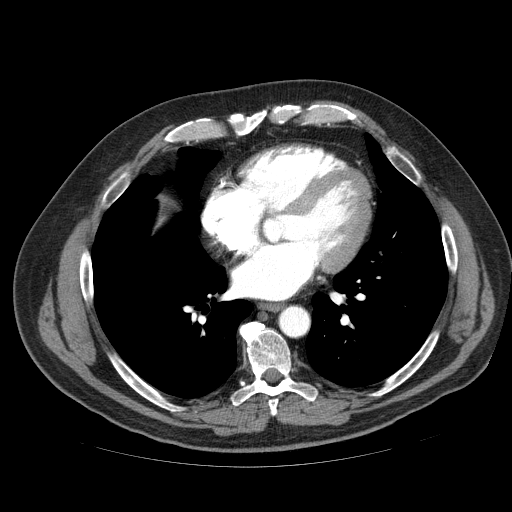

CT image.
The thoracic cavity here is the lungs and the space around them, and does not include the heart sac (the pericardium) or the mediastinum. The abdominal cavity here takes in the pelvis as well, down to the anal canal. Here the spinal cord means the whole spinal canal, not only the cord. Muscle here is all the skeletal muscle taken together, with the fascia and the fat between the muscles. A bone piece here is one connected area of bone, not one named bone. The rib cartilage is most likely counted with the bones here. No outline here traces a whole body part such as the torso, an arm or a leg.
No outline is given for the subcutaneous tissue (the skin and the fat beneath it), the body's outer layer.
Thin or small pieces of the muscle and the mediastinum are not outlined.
The spinal cord is outlined by [[270,368],[273,368],[274,369],[275,369],[278,372],[279,372],[279,373],[281,375],[281,378],[276,383],[275,383],[274,384],[271,384],[270,383],[269,383],[266,380],[265,380],[263,378],[263,374],[268,369],[269,369]]. The thoracic cavity appears in 2 outlined pieces: piece 1: [[185,146],[221,153],[199,192],[198,236],[209,255],[224,268],[234,296],[248,300],[252,306],[237,327],[237,337],[243,341],[239,371],[214,391],[192,399],[163,394],[115,350],[94,306],[91,256],[104,212],[146,166],[151,174],[174,172],[177,152]] with a hole at [[164,188],[169,188],[170,190],[173,190],[173,191],[175,192],[177,196],[181,200],[181,203],[182,204],[183,209],[181,211],[174,214],[171,219],[165,225],[164,225],[153,234],[152,233],[152,229],[156,221],[156,216],[158,211],[158,201],[156,197]]; piece 2: [[364,131],[379,143],[391,164],[419,187],[430,202],[439,222],[449,274],[446,295],[433,326],[409,360],[379,386],[346,387],[314,376],[304,369],[305,342],[312,325],[313,296],[318,292],[332,291],[334,277],[353,261],[371,236],[380,189],[369,159]]. The muscle is outlined by [[318,99],[346,103],[373,119],[391,140],[413,155],[419,168],[453,203],[473,235],[493,291],[495,309],[485,335],[456,371],[414,395],[339,425],[293,425],[271,419],[255,434],[218,435],[172,425],[117,402],[89,385],[44,344],[37,327],[38,311],[72,229],[118,166],[130,160],[163,127],[187,120],[163,135],[162,140],[171,144],[133,179],[126,168],[109,183],[100,200],[104,211],[90,250],[83,245],[79,256],[83,300],[87,307],[93,304],[114,349],[105,354],[123,381],[152,404],[175,413],[187,407],[166,396],[201,398],[243,370],[244,375],[229,394],[231,404],[239,406],[262,393],[269,397],[269,414],[274,417],[278,413],[278,395],[291,392],[313,402],[319,394],[322,384],[296,378],[298,368],[346,388],[375,385],[378,387],[367,393],[369,397],[381,397],[411,377],[440,337],[441,330],[433,327],[447,295],[449,275],[454,276],[458,268],[453,230],[446,219],[439,221],[420,187],[423,178],[413,162],[394,144],[382,148],[368,131],[350,122],[362,122],[354,111],[334,103],[291,103]]. The abdominal cavity is outlined by [[164,188],[169,188],[170,190],[173,190],[173,191],[175,192],[177,196],[181,200],[181,203],[182,204],[183,209],[181,211],[174,214],[171,219],[165,225],[164,225],[153,234],[152,233],[152,229],[156,221],[156,216],[158,211],[158,201],[156,197]]. The pericardium is outlined by [[282,138],[312,138],[336,142],[357,154],[369,169],[375,185],[375,207],[369,235],[352,261],[332,278],[332,282],[326,288],[285,301],[241,297],[230,289],[224,267],[226,263],[220,250],[202,227],[201,211],[211,185],[227,166],[258,144],[269,139]]. The mediastinum appears in 3 outlined pieces: piece 1: [[267,121],[300,126],[349,122],[361,128],[379,189],[375,213],[376,185],[370,169],[353,149],[336,141],[282,137],[258,143],[215,177],[200,214],[200,192],[222,156],[218,149],[181,146],[174,171],[151,173],[148,164],[172,144],[230,134],[241,137]]; piece 2: [[332,283],[331,291],[318,291],[311,298],[310,303],[313,310],[311,325],[304,342],[303,367],[296,365],[292,359],[293,356],[288,342],[276,329],[256,319],[242,322],[250,315],[253,309],[251,302],[244,298],[267,302],[285,302],[314,291],[326,289]]; piece 3: [[201,228],[203,228],[205,230],[209,237],[219,250],[219,252],[225,263],[225,266],[222,266],[221,264],[218,263],[218,262],[216,261],[216,260],[212,257],[212,256],[210,255],[207,251],[206,248],[202,243],[199,236],[199,233],[201,230]]. The bones appear in 8 outlined pieces: piece 1: [[253,320],[273,328],[285,339],[297,366],[293,375],[296,379],[321,384],[313,401],[295,392],[284,391],[277,395],[274,416],[268,405],[270,397],[262,392],[239,405],[232,404],[230,394],[238,379],[245,375],[240,368],[244,341],[238,334],[238,327]], around a hole outlined by [[270,368],[273,368],[274,369],[275,369],[278,372],[279,372],[279,373],[281,375],[281,378],[276,383],[275,383],[274,384],[271,384],[270,383],[269,383],[266,380],[265,380],[263,378],[263,374],[268,369],[269,369]]; piece 2: [[285,103],[303,107],[314,103],[338,105],[354,112],[359,124],[328,121],[300,125],[292,120],[277,124],[266,119],[241,136],[231,132],[213,139],[176,143],[163,140],[168,131],[188,120],[211,117],[223,121],[234,112],[248,116],[262,108],[270,109]]; piece 3: [[107,351],[115,351],[122,359],[122,360],[146,383],[159,391],[163,395],[167,397],[170,401],[176,404],[183,405],[186,407],[186,409],[182,411],[171,412],[166,409],[164,409],[152,403],[140,395],[129,385],[128,385],[119,375],[110,362],[106,354]]; piece 4: [[434,328],[436,328],[440,330],[438,340],[428,357],[419,367],[419,368],[405,381],[389,392],[385,393],[381,396],[369,396],[368,395],[368,393],[377,389],[382,384],[386,378],[393,374],[410,360],[410,359],[418,351],[424,343],[432,329]]; piece 5: [[388,145],[394,145],[412,162],[412,163],[420,173],[421,175],[421,177],[422,178],[421,180],[421,182],[420,183],[420,185],[419,186],[417,186],[415,184],[414,184],[402,173],[401,173],[392,164],[392,163],[388,159],[388,158],[383,151],[383,149]]; piece 6: [[83,246],[86,246],[88,248],[88,249],[90,251],[90,256],[91,257],[92,281],[93,282],[93,303],[89,306],[87,306],[84,300],[84,298],[81,291],[81,287],[80,286],[80,280],[79,279],[79,263],[80,262],[80,256],[83,250]]; piece 7: [[444,219],[446,220],[452,230],[452,233],[455,240],[455,244],[457,249],[457,268],[454,275],[452,275],[449,273],[449,271],[446,264],[446,260],[445,259],[445,252],[444,251],[444,247],[442,242],[442,236],[441,235],[441,226],[440,225],[440,223]]; piece 8: [[126,169],[129,169],[130,175],[132,178],[131,182],[128,185],[128,186],[125,189],[125,190],[118,197],[118,198],[108,208],[104,210],[101,207],[100,204],[101,203],[101,200],[102,199],[102,197],[103,196],[103,194],[105,190],[110,184],[110,183]].